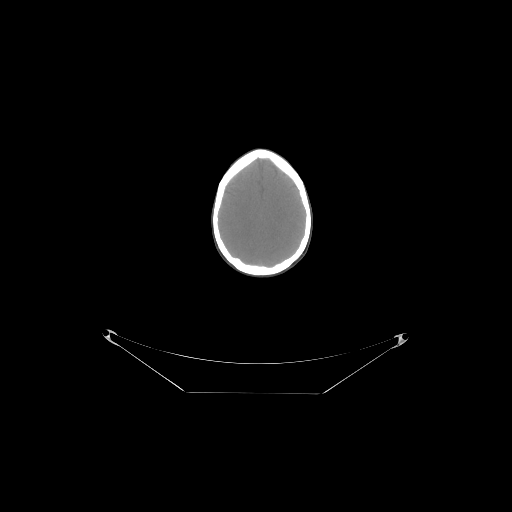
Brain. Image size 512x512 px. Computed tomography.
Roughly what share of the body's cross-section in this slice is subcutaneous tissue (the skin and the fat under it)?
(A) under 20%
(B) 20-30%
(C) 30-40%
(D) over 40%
(A) under 20%
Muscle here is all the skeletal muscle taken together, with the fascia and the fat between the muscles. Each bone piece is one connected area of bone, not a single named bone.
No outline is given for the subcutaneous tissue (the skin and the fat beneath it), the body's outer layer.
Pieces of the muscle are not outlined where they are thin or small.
{"bones":[{"outer":[[255,148],[266,148],[278,153],[283,156],[298,172],[306,187],[312,217],[310,236],[306,247],[302,253],[287,268],[280,272],[269,275],[252,275],[242,272],[234,267],[224,257],[219,250],[212,232],[212,206],[216,188],[220,178],[234,160],[242,154]],"hole":[[258,159],[269,160],[292,181],[297,189],[299,199],[304,212],[303,232],[296,248],[290,255],[271,265],[248,263],[245,262],[239,257],[233,255],[226,246],[221,236],[219,227],[219,212],[222,205],[222,201],[224,197],[226,187],[229,182],[238,173]]}],"muscle":[[[303,252],[303,253],[303,254],[302,255],[301,256],[300,257],[300,256],[301,255],[302,254],[303,253]]],"head":[[[258,146],[263,146],[275,150],[291,163],[304,182],[306,190],[315,208],[316,214],[315,253],[312,253],[307,257],[305,261],[285,275],[275,279],[263,281],[250,280],[240,277],[222,263],[214,249],[210,233],[210,210],[220,178],[238,156],[251,148]]],"brain":[[[258,159],[269,160],[292,181],[297,189],[299,199],[304,212],[303,232],[296,248],[290,255],[271,265],[248,263],[245,262],[239,257],[233,255],[226,246],[221,236],[219,227],[219,212],[222,205],[222,201],[224,197],[226,187],[229,182],[238,173]]]}